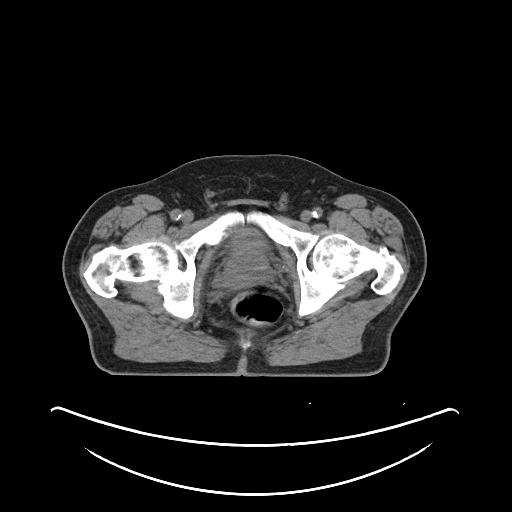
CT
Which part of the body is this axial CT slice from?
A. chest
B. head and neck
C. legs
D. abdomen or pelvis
D. abdomen or pelvis
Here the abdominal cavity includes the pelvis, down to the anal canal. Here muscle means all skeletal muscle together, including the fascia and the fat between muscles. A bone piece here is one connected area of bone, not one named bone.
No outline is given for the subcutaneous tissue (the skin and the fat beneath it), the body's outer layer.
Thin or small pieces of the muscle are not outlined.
The bones appear in 2 outlined pieces: piece 1: 229,210 261,210 321,237 386,246 403,273 380,295 370,287 376,272 366,271 299,317 295,253 245,222 197,251 189,318 165,310 155,280 117,280 117,294 103,297 83,275 95,252 151,239 171,244; piece 2: 242,339 243,340 249,340 250,341 250,342 251,343 251,344 250,345 250,346 248,348 247,348 246,349 243,349 242,348 241,348 240,347 240,346 239,345 239,342. The abdominal cavity is outlined by 245,223 258,226 276,244 281,258 282,269 287,274 293,296 293,310 289,319 273,331 260,335 228,325 225,321 218,320 207,313 205,315 206,312 203,304 206,276 214,259 216,245 227,235 226,231 229,228. The muscle is outlined by 347,193 372,197 399,219 403,226 410,258 410,269 402,288 393,301 366,326 362,336 362,351 360,353 342,359 300,365 270,365 260,351 247,353 245,359 239,348 230,350 225,357 214,362 138,362 123,359 113,352 113,329 82,285 78,267 83,248 95,222 115,205 138,194 150,194 198,210 209,208 222,201 251,198 305,211 331,202 338,196, around holes outlined by 229,210 386,246 403,273 380,295 370,287 376,272 366,271 299,317 297,258 277,243 293,310 260,335 205,315 215,245 196,253 189,318 165,310 155,280 117,280 117,294 103,297 83,275 95,252 171,244 and by 242,339 243,340 249,340 250,341 250,342 251,343 251,344 250,345 250,346 248,348 247,348 246,349 243,349 242,348 241,348 240,347 240,346 239,345 239,342. The torso is outlined by 224,154 288,154 302,157 347,179 384,190 410,209 424,236 426,271 417,293 392,334 389,359 380,372 362,377 140,376 112,375 94,363 85,327 62,275 63,251 74,226 91,203 107,191 148,181 190,160.